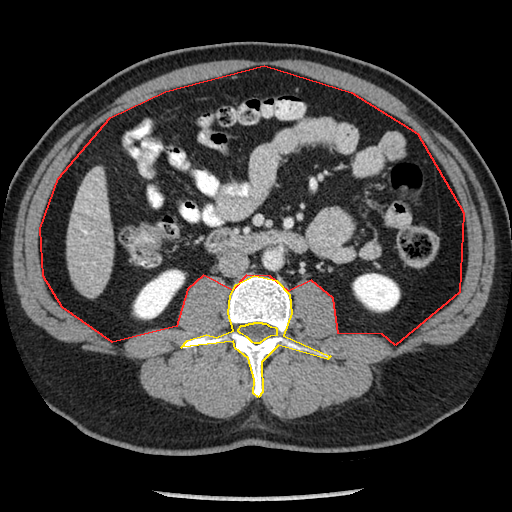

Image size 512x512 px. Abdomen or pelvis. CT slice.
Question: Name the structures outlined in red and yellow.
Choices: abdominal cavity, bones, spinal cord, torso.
Answer: red: abdominal cavity; yellow: bones.
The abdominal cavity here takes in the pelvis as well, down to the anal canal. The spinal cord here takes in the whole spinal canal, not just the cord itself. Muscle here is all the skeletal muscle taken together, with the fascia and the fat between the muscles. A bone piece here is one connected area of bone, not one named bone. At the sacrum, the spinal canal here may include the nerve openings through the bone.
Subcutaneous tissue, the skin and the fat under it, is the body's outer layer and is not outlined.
{"abdominal_cavity":[[[264,65],[351,92],[417,133],[463,212],[459,292],[395,345],[382,334],[338,333],[333,298],[311,280],[288,291],[270,276],[246,275],[232,290],[203,275],[187,289],[176,326],[112,342],[62,307],[43,276],[40,228],[58,178],[110,117],[165,91]]],"bones":[{"outer":[[254,275],[276,280],[289,294],[291,313],[283,335],[330,356],[327,359],[278,345],[261,362],[262,392],[258,397],[253,393],[254,379],[248,358],[235,348],[233,341],[181,347],[187,340],[206,334],[216,337],[233,330],[228,313],[230,295],[236,284]],"hole":[[254,322],[261,322],[262,323],[265,323],[270,326],[275,327],[276,328],[276,335],[270,336],[264,339],[259,343],[254,343],[252,342],[247,337],[240,333],[238,331],[238,329],[241,325],[245,325],[246,324],[248,324],[249,323],[253,323]]}],"muscle":[{"outer":[[229,59],[244,59],[252,61],[279,60],[280,59],[308,60],[348,72],[383,88],[398,98],[407,106],[410,111],[415,113],[431,128],[452,142],[471,167],[481,186],[484,197],[487,202],[494,233],[494,243],[495,244],[494,271],[491,287],[485,306],[475,322],[469,328],[467,335],[457,345],[449,350],[432,349],[429,351],[425,351],[420,353],[399,355],[391,358],[381,368],[375,385],[354,403],[332,410],[326,410],[292,419],[285,419],[284,420],[282,420],[276,415],[272,414],[261,401],[256,401],[254,399],[240,412],[228,419],[216,418],[199,412],[185,410],[176,406],[158,401],[150,397],[140,384],[139,379],[134,371],[131,363],[125,357],[119,355],[111,355],[93,351],[86,351],[72,343],[59,340],[52,336],[43,328],[34,323],[27,316],[21,305],[20,297],[17,293],[13,275],[13,243],[17,215],[21,201],[28,185],[42,160],[53,147],[54,144],[66,132],[74,126],[79,124],[83,120],[97,111],[104,108],[125,91],[134,86],[164,73],[185,66],[204,62],[228,60]],"hole":[[264,65],[410,126],[455,190],[467,263],[452,301],[395,345],[338,333],[333,298],[299,280],[283,335],[330,358],[278,345],[256,397],[233,341],[181,347],[234,329],[221,277],[189,286],[176,326],[112,342],[51,296],[39,236],[58,178],[98,125]]}],"spinal_cord":[[[254,322],[261,322],[262,323],[265,323],[270,326],[275,327],[276,328],[276,335],[270,336],[264,339],[259,343],[254,343],[252,342],[247,337],[240,333],[238,331],[238,329],[241,325],[245,325],[246,324],[248,324],[249,323],[253,323]]],"torso":[[[232,41],[309,45],[392,72],[459,125],[501,191],[511,229],[511,273],[497,340],[462,407],[411,439],[341,453],[259,445],[199,455],[143,453],[89,436],[55,413],[24,365],[8,321],[0,272],[4,208],[18,166],[72,103],[118,71],[170,50]]]}